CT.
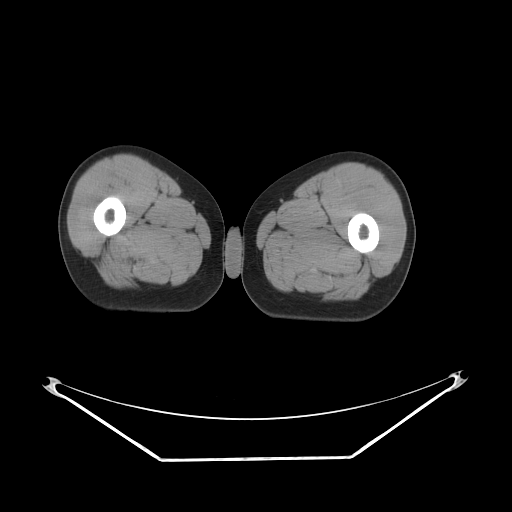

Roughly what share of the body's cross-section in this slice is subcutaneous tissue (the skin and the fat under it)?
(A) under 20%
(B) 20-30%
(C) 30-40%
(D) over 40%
(C) 30-40%
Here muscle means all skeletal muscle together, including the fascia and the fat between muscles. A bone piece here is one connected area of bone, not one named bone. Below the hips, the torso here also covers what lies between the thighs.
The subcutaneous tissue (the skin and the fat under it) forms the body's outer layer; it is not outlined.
The bones appear in 2 outlined pieces: piece 1: 357 212; 366 212; 370 215; 371 215; 375 219; 378 225; 378 228; 379 229; 379 240; 378 241; 378 243; 374 249; 373 249; 371 251; 367 253; 362 253; 356 250; 350 244; 348 240; 348 238; 347 237; 347 224; 350 218; piece 2: 110 195; 116 196; 122 201; 125 207; 125 210; 126 211; 126 219; 125 220; 125 223; 124 225; 117 233; 113 235; 111 235; 110 236; 106 236; 102 233; 101 233; 95 226; 94 222; 93 221; 93 212; 97 204; 105 197; 109 196. The muscle appears in 2 outlined pieces: piece 1: 344 161; 362 162; 380 170; 391 182; 399 194; 407 226; 406 240; 399 262; 388 276; 379 279; 366 294; 352 304; 311 302; 278 292; 263 274; 257 258; 256 233; 261 220; 275 204; 284 198; 303 181; 320 171; 325 170; 335 164, around a hole outlined by 357 212; 366 212; 370 215; 371 215; 375 219; 378 225; 378 228; 379 229; 379 240; 378 241; 378 243; 374 249; 373 249; 371 251; 367 253; 362 253; 356 250; 350 244; 348 240; 348 238; 347 237; 347 224; 350 218; piece 2: 119 152; 130 152; 139 155; 169 174; 194 201; 209 226; 211 234; 209 253; 205 257; 197 272; 178 288; 170 290; 140 292; 112 289; 104 283; 95 268; 87 259; 80 255; 70 241; 67 232; 66 214; 76 181; 81 174; 96 160; inner edge: 110 195; 116 196; 122 201; 125 207; 125 210; 126 211; 126 219; 125 220; 125 223; 124 225; 117 233; 113 235; 111 235; 110 236; 106 236; 102 233; 101 233; 95 226; 94 222; 93 221; 93 212; 97 204; 105 197; 109 196. The left leg is outlined by 344 150; 362 151; 382 159; 396 171; 407 189; 415 219; 416 240; 406 279; 395 299; 376 316; 363 322; 302 321; 268 317; 251 301; 242 284; 241 267; 243 240; 241 226; 246 214; 257 196; 267 186; 282 175; 312 159; 328 153. The right leg is outlined by 116 144; 139 145; 165 156; 199 180; 209 190; 219 205; 225 225; 223 281; 217 292; 205 304; 194 311; 189 313; 106 311; 95 306; 86 299; 76 288; 67 272; 59 246; 57 231; 58 209; 64 187; 69 176; 82 160; 101 148. The torso is outlined by 231 223; 236 223; 239 226; 241 227; 241 239; 242 240; 242 248; 241 249; 241 266; 240 267; 240 277; 238 276; 235 278; 231 278; 229 277; 226 274; 225 275; 224 273; 224 256; 225 255; 225 243; 226 242; 226 227; 228 228.